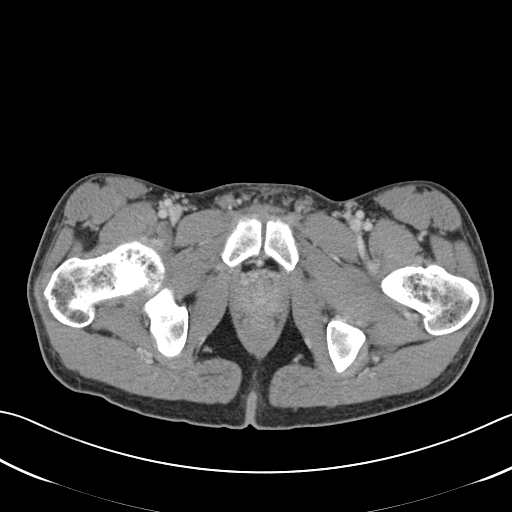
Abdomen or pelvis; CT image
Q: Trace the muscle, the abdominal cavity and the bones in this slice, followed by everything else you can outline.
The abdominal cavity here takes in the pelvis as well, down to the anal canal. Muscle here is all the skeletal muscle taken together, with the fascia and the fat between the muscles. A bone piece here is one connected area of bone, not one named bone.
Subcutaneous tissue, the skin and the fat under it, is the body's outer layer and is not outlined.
A: Outlines (x, y in pixels):
muscle: (106, 175) (133, 179) (210, 207) (236, 211) (269, 204) (297, 216) (312, 210) (342, 210) (398, 186) (431, 186) (447, 196) (460, 214) (486, 292) (484, 312) (449, 364) (428, 385) (358, 403) (312, 407) (268, 404) (268, 387) (278, 369) (313, 360) (290, 312) (278, 340) (260, 360) (237, 337) (228, 308) (206, 337) (200, 358) (220, 357) (241, 369) (240, 387) (227, 404) (154, 398) (86, 378) (61, 362) (38, 310) (34, 284) (63, 205) (85, 181) with holes at (132, 240) (159, 254) (165, 268) (162, 285) (173, 290) (179, 305) (186, 306) (187, 336) (175, 356) (165, 356) (156, 346) (150, 320) (142, 309) (149, 297) (143, 290) (99, 301) (94, 319) (84, 327) (72, 327) (56, 319) (43, 294) (53, 271) (67, 258) (95, 257) and at (243, 216) (254, 216) (261, 222) (263, 240) (268, 220) (279, 218) (288, 223) (293, 231) (299, 254) (299, 259) (290, 272) (281, 268) (286, 284) (285, 303) (272, 338) (261, 352) (253, 349) (244, 339) (235, 315) (232, 280) (240, 267) (230, 267) (220, 256) (234, 222) and at (433, 263) (443, 267) (454, 275) (467, 278) (475, 284) (479, 292) (479, 303) (472, 317) (460, 328) (441, 335) (433, 335) (427, 332) (424, 328) (422, 322) (423, 317) (421, 314) (412, 308) (390, 298) (380, 288) (380, 282) (382, 278) (397, 268) (407, 265) (424, 267) and at (336, 316) (344, 320) (346, 322) (361, 329) (365, 334) (365, 337) (366, 338) (365, 341) (359, 349) (357, 355) (352, 363) (342, 372) (339, 373) (335, 370) (334, 366) (331, 361) (327, 349) (327, 342) (326, 341) (326, 327) (327, 324) (332, 318)
abdominal cavity: (261, 250) (267, 258) (274, 259) (276, 263) (281, 267) (281, 273) (283, 274) (282, 277) (286, 284) (286, 298) (283, 310) (272, 338) (265, 349) (261, 352) (258, 352) (248, 344) (240, 330) (240, 326) (234, 310) (232, 280) (237, 275) (240, 266) (245, 261) (256, 258)
bones 1: (132, 240) (159, 254) (165, 268) (162, 285) (173, 290) (179, 305) (186, 306) (187, 336) (175, 356) (165, 356) (156, 346) (150, 320) (142, 309) (149, 297) (143, 290) (99, 301) (94, 319) (84, 327) (72, 327) (56, 319) (43, 294) (53, 271) (67, 258) (95, 257)
bones 2: (433, 263) (443, 267) (454, 275) (467, 278) (475, 284) (479, 292) (479, 303) (472, 317) (460, 328) (441, 335) (433, 335) (427, 332) (424, 328) (422, 322) (423, 317) (421, 314) (412, 308) (390, 298) (380, 288) (380, 282) (382, 278) (397, 268) (407, 265) (424, 267)
bones 3: (243, 216) (254, 216) (261, 222) (263, 240) (265, 225) (268, 220) (279, 218) (290, 225) (299, 254) (299, 259) (290, 272) (286, 272) (274, 258) (267, 257) (262, 249) (256, 257) (245, 260) (239, 266) (230, 267) (222, 260) (220, 253) (226, 238) (231, 231) (234, 222)
bones 4: (336, 316) (344, 320) (346, 322) (361, 329) (365, 334) (365, 337) (366, 338) (365, 341) (359, 349) (357, 355) (352, 363) (342, 372) (339, 373) (335, 370) (334, 366) (331, 361) (327, 349) (327, 342) (326, 341) (326, 327) (327, 324) (332, 318)
torso: (94, 172) (127, 174) (186, 192) (232, 182) (291, 183) (335, 200) (398, 181) (435, 181) (461, 200) (479, 234) (494, 288) (490, 319) (465, 370) (445, 392) (403, 410) (335, 426) (206, 428) (143, 417) (99, 396) (74, 393) (43, 361) (26, 284) (58, 199) (73, 182)